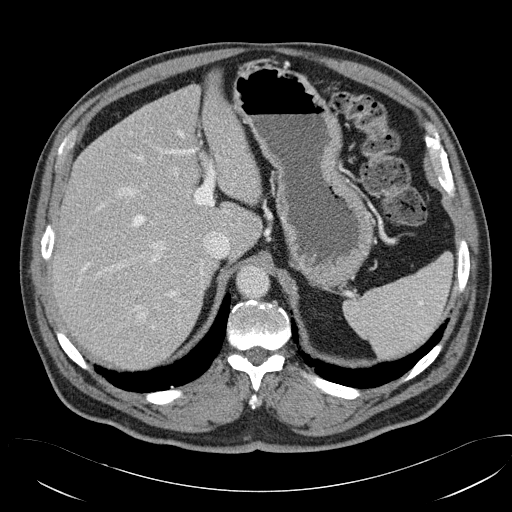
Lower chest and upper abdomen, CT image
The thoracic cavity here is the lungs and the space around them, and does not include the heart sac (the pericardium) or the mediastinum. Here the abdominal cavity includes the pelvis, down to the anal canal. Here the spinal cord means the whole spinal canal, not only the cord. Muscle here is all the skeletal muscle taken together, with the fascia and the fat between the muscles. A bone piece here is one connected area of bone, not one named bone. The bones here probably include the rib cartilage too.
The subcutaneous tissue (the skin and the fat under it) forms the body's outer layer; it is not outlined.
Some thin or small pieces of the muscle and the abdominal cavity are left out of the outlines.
{"bones":[{"outer":[[248,300],[275,302],[288,314],[291,331],[290,339],[279,350],[285,357],[282,369],[269,371],[263,375],[257,391],[257,395],[262,402],[254,409],[248,403],[253,392],[248,374],[233,369],[227,362],[227,356],[235,351],[226,340],[230,310],[235,304]],"hole":[[256,346],[261,347],[262,348],[267,350],[269,353],[269,354],[268,355],[268,356],[266,358],[266,359],[260,364],[258,364],[257,365],[255,365],[254,364],[253,364],[250,361],[249,361],[249,360],[245,355],[245,351],[246,351],[253,347],[255,347]]},[[426,121],[429,121],[435,126],[439,134],[440,141],[447,154],[447,158],[455,186],[455,194],[452,197],[449,197],[447,193],[440,185],[437,179],[437,176],[433,169],[429,149],[426,145],[426,142],[424,138],[426,133],[428,132],[425,127],[425,122]],[[301,370],[304,370],[309,373],[314,373],[323,379],[325,379],[328,381],[330,381],[337,384],[357,388],[360,390],[361,394],[354,399],[346,399],[342,397],[338,397],[337,396],[334,396],[333,395],[325,393],[319,388],[310,383],[308,380],[301,374]],[[462,238],[463,238],[466,241],[467,245],[468,246],[468,249],[469,250],[469,275],[468,276],[468,279],[467,280],[466,285],[463,291],[459,292],[456,289],[456,286],[457,285],[457,265],[458,264],[458,256],[457,255],[457,251],[458,250],[458,241]],[[440,341],[442,342],[442,348],[439,352],[438,355],[435,358],[435,359],[423,371],[419,373],[413,378],[407,381],[405,381],[404,382],[399,382],[401,377],[405,375],[407,373],[407,372],[408,372],[409,370],[423,356],[424,356],[438,342]],[[56,331],[61,331],[63,332],[64,334],[65,334],[65,335],[69,339],[72,344],[77,349],[77,350],[81,354],[83,358],[87,362],[90,368],[89,370],[83,369],[81,367],[80,367],[66,354],[66,353],[61,347],[57,339],[57,337],[56,336]],[[172,386],[175,388],[179,388],[181,389],[183,392],[183,395],[181,397],[176,398],[173,401],[169,403],[167,403],[166,404],[156,404],[155,403],[148,402],[145,399],[145,393],[147,393],[148,392],[154,392],[155,391],[162,391],[163,390],[167,390]],[[74,128],[75,128],[77,131],[76,135],[75,136],[75,143],[74,144],[74,146],[68,151],[67,155],[66,156],[65,162],[62,167],[58,171],[56,171],[55,170],[55,163],[56,162],[56,158],[57,157],[57,149],[63,139],[69,133],[69,132]],[[48,224],[51,224],[53,228],[53,230],[54,231],[54,239],[53,240],[53,245],[52,246],[52,249],[51,250],[50,257],[48,260],[45,260],[42,257],[41,255],[41,243],[40,241],[41,240],[42,235],[45,230],[45,228]]],"torso":[[[216,41],[313,41],[369,54],[413,79],[432,97],[451,124],[484,209],[492,281],[471,363],[445,403],[423,420],[332,450],[208,453],[133,438],[113,426],[79,416],[55,393],[27,326],[19,283],[21,231],[40,152],[67,110],[109,74],[154,53]]],"thoracic_cavity":[[[227,292],[229,294],[229,312],[226,320],[225,341],[209,367],[195,379],[176,387],[172,385],[167,389],[144,393],[120,388],[108,381],[94,369],[93,366],[99,366],[106,370],[119,373],[146,372],[168,366],[179,360],[206,335],[214,322],[222,300]],[[290,319],[293,320],[297,329],[297,345],[312,359],[350,369],[369,368],[380,363],[393,362],[415,352],[425,344],[436,330],[448,319],[439,341],[408,371],[386,383],[366,388],[337,383],[315,373],[304,363],[297,353],[297,349],[291,340],[292,331]]],"abdominal_cavity":[[[252,51],[323,64],[417,115],[454,228],[456,281],[447,318],[415,351],[393,361],[350,368],[312,358],[298,345],[288,296],[270,264],[258,258],[231,272],[209,329],[179,359],[133,372],[92,365],[58,321],[48,276],[58,208],[82,132],[127,94]]],"spinal_cord":[[[256,346],[261,347],[262,348],[267,350],[269,353],[269,354],[268,355],[268,356],[266,358],[266,359],[260,364],[258,364],[257,365],[255,365],[254,364],[253,364],[250,361],[249,361],[249,360],[245,355],[245,351],[246,351],[253,347],[255,347]]],"mediastinum":[[[258,259],[265,260],[269,264],[271,271],[277,278],[285,295],[287,296],[287,302],[289,305],[289,315],[286,310],[275,301],[270,302],[248,299],[235,303],[230,309],[230,294],[227,291],[228,279],[230,275],[238,266],[246,262],[250,262],[252,260]]],"muscle":[{"outer":[[231,47],[303,49],[354,61],[390,76],[437,114],[453,143],[468,190],[478,231],[478,253],[475,305],[462,356],[442,381],[341,432],[303,435],[263,408],[256,409],[263,402],[258,391],[264,375],[283,369],[286,357],[280,350],[290,340],[297,355],[313,371],[301,369],[300,374],[323,393],[346,400],[359,397],[360,389],[381,386],[400,377],[399,383],[413,379],[443,348],[440,340],[454,292],[463,292],[469,279],[470,250],[463,237],[457,241],[457,248],[454,224],[437,185],[449,198],[455,196],[456,186],[436,126],[426,120],[425,129],[409,107],[323,63],[272,50],[244,51],[176,73],[108,103],[81,132],[69,163],[55,225],[48,223],[39,241],[40,255],[49,263],[49,295],[62,330],[56,330],[55,336],[75,364],[87,371],[90,364],[114,386],[143,393],[148,403],[166,405],[184,395],[177,387],[203,374],[226,341],[234,349],[226,362],[249,378],[250,410],[205,432],[148,424],[73,385],[59,371],[39,330],[29,271],[32,234],[42,174],[63,123],[88,99],[146,67],[187,54]],"hole":[[74,128],[75,128],[77,131],[76,135],[75,136],[75,143],[74,144],[74,146],[68,151],[67,155],[66,156],[65,162],[62,167],[58,171],[56,171],[55,170],[55,163],[56,162],[56,158],[57,157],[57,149],[63,139],[69,133],[69,132]]}]}